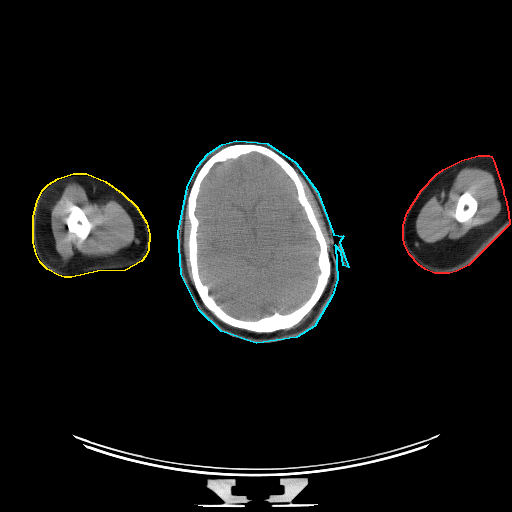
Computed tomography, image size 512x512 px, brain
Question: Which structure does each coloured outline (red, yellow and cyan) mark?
Answer: red: left arm; yellow: right arm; cyan: head.
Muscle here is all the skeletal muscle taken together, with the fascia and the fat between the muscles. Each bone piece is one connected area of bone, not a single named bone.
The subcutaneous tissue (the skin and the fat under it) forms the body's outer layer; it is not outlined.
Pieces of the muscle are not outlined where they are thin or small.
{"left_arm":[[[478,155],[489,155],[491,156],[493,160],[503,190],[503,194],[505,198],[508,213],[509,224],[468,265],[456,271],[449,273],[434,273],[425,269],[418,264],[410,255],[405,246],[403,239],[403,225],[407,212],[421,190],[436,174],[443,169],[461,160]]],"right_arm":[[[73,173],[86,173],[105,181],[122,193],[136,206],[146,222],[149,234],[148,249],[145,256],[141,261],[125,270],[97,271],[71,277],[64,277],[58,275],[47,269],[40,262],[36,254],[33,242],[33,217],[37,200],[43,189],[48,184],[58,178]]],"head":[[[236,140],[267,143],[295,162],[317,191],[333,234],[343,236],[339,242],[348,267],[343,265],[341,252],[335,245],[337,279],[332,295],[314,326],[296,337],[256,343],[221,331],[199,310],[181,274],[178,232],[187,187],[197,166],[208,153],[222,144]]],"muscle":[{"outer":[[71,181],[75,181],[83,186],[92,201],[114,199],[126,210],[131,217],[135,227],[135,236],[131,245],[119,250],[112,255],[107,256],[96,257],[78,256],[68,262],[63,262],[60,259],[55,250],[54,239],[50,226],[50,205],[60,194],[65,185]],"hole":[[67,202],[70,202],[85,210],[86,217],[89,221],[91,222],[97,221],[98,222],[98,223],[92,227],[87,237],[81,242],[79,241],[77,237],[72,237],[68,235],[68,228],[66,223],[64,221],[64,218],[69,214],[67,210],[68,206]]},{"outer":[[466,166],[479,167],[488,170],[493,175],[497,188],[498,199],[501,204],[501,210],[493,220],[483,225],[470,229],[465,235],[458,239],[444,239],[432,244],[428,244],[415,232],[415,220],[417,215],[426,201],[433,194],[450,184],[453,181],[456,174]],"hole":[[467,190],[470,190],[473,196],[476,199],[477,201],[477,209],[475,213],[472,216],[470,221],[468,222],[466,222],[465,223],[462,223],[461,222],[459,222],[454,217],[453,214],[456,208],[456,205],[457,204],[457,200],[458,198],[465,191]]},[[297,171],[304,179],[305,182],[310,189],[321,212],[328,233],[328,236],[330,240],[330,249],[329,250],[329,254],[327,241],[324,236],[324,234],[322,231],[318,219],[315,214],[314,209],[306,195],[303,182],[301,180],[301,178],[299,176],[299,174]],[[314,307],[314,308],[313,309],[313,311],[312,312],[312,313],[311,314],[311,315],[303,323],[302,323],[300,325],[299,325],[297,327],[296,327],[295,328],[291,328],[292,327],[293,327],[295,325],[296,325],[298,323],[299,323],[301,321],[301,320]]],"brain":[[[251,153],[272,160],[293,182],[296,199],[305,213],[318,245],[319,272],[313,290],[295,309],[286,313],[275,311],[257,319],[243,319],[226,312],[210,294],[209,286],[201,279],[198,262],[200,221],[196,215],[196,208],[201,184],[215,164],[235,160]]],"bones":[{"outer":[[235,144],[255,144],[269,148],[294,168],[302,182],[305,195],[327,244],[331,266],[324,290],[314,306],[299,322],[290,328],[272,332],[255,332],[231,326],[216,317],[206,307],[192,279],[189,259],[188,196],[193,182],[205,162],[218,151]],"hole":[[251,153],[272,160],[293,182],[296,199],[305,213],[318,245],[319,272],[313,290],[295,309],[286,313],[275,311],[257,319],[243,319],[226,312],[210,294],[209,286],[201,279],[198,262],[200,221],[196,215],[196,208],[201,184],[215,164],[235,160]]},[[67,202],[70,202],[85,210],[86,217],[89,221],[91,222],[97,221],[98,222],[98,223],[92,227],[87,237],[81,242],[79,241],[77,237],[72,237],[68,235],[68,228],[66,223],[64,221],[64,218],[69,214],[67,210],[68,206]],[[467,190],[470,190],[473,196],[476,199],[477,201],[477,209],[475,213],[472,216],[470,221],[468,222],[466,222],[465,223],[462,223],[461,222],[459,222],[454,217],[453,214],[456,208],[456,205],[457,204],[457,200],[458,198],[465,191]]]}